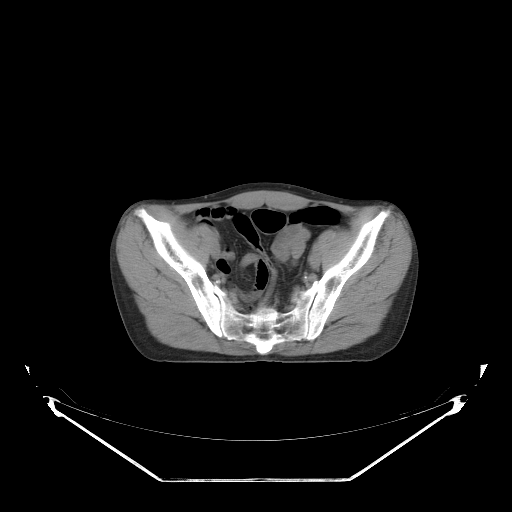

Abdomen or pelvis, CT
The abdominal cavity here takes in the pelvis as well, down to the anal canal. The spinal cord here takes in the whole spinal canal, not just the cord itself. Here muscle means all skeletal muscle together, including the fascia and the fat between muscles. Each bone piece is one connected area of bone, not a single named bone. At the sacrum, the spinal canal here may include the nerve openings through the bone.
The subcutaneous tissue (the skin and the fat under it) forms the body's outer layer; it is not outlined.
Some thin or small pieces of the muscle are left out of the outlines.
{"muscle":[[[254,190],[287,191],[350,206],[384,205],[391,207],[402,216],[412,243],[411,261],[377,333],[331,352],[267,354],[277,344],[313,341],[321,334],[345,283],[371,257],[391,213],[391,210],[389,208],[381,209],[362,223],[345,253],[323,271],[326,247],[350,220],[331,205],[312,202],[282,209],[263,203],[242,208],[221,202],[183,214],[189,226],[203,226],[214,234],[206,269],[178,241],[168,221],[156,218],[144,207],[135,208],[141,204],[211,202]],[[132,210],[133,214],[143,223],[156,252],[185,282],[209,330],[219,338],[223,337],[230,341],[249,343],[254,346],[258,354],[231,355],[176,348],[159,342],[148,331],[144,317],[134,301],[133,291],[129,288],[121,273],[116,256],[117,236],[125,217]],[[233,301],[235,301],[241,307],[242,307],[243,308],[244,308],[245,309],[245,311],[244,312],[242,312],[241,311],[239,311],[237,309],[236,309],[234,307],[234,305],[232,303],[232,302]]],"torso":[[[259,181],[290,183],[344,198],[387,200],[404,212],[416,239],[419,272],[407,325],[400,341],[391,351],[368,362],[335,364],[264,362],[170,364],[150,360],[134,347],[126,333],[115,302],[108,261],[110,240],[124,210],[142,199],[193,197],[242,183]]],"abdominal_cavity":[[[221,203],[242,209],[266,204],[282,210],[325,204],[349,216],[349,220],[348,226],[325,247],[320,262],[321,276],[296,292],[291,303],[279,310],[264,305],[245,312],[246,309],[232,300],[207,273],[214,232],[203,225],[189,225],[183,217],[204,206]]],"spinal_cord":[[[258,333],[261,333],[262,334],[267,334],[268,335],[269,335],[269,337],[268,338],[262,338],[261,337],[259,337],[257,335],[257,334]],[[283,326],[284,326],[285,327],[285,328],[285,329],[284,330],[283,330],[282,331],[281,332],[280,332],[279,332],[278,332],[277,332],[276,331],[276,330],[277,329],[278,329],[279,329],[280,328],[281,327],[282,327]],[[245,326],[246,326],[247,327],[248,327],[249,327],[250,327],[251,327],[252,328],[252,329],[251,330],[250,330],[249,330],[248,330],[247,330],[246,330],[245,330],[244,329],[244,328],[244,327]]],"bones":[{"outer":[[137,208],[168,222],[177,241],[242,313],[264,306],[281,313],[294,309],[296,293],[309,288],[346,253],[362,224],[381,210],[390,213],[370,257],[344,283],[320,334],[313,340],[280,342],[259,354],[249,342],[210,330],[186,282],[157,252],[134,214]],"hole":[[258,333],[261,333],[262,334],[267,334],[268,335],[269,335],[269,337],[268,338],[262,338],[261,337],[259,337],[257,335],[257,334]]}]}